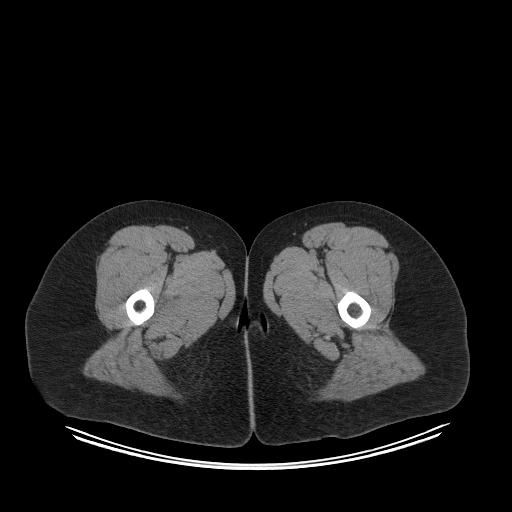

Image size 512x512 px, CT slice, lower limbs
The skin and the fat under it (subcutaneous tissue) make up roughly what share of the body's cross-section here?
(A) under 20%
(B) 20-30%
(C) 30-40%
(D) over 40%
(D) over 40%
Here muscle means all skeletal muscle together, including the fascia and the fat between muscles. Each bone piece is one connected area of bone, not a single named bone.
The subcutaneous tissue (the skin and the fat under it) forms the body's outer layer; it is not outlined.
{"bones":[[[346,291],[354,291],[356,292],[362,297],[363,297],[368,302],[368,303],[371,307],[371,313],[370,314],[370,316],[368,320],[360,328],[353,328],[351,327],[349,325],[348,325],[343,320],[342,320],[342,319],[339,315],[339,313],[337,309],[337,303]],[[141,288],[147,288],[148,290],[151,293],[153,297],[153,299],[154,300],[154,312],[153,314],[147,320],[146,320],[141,324],[139,325],[134,325],[129,319],[126,313],[126,309],[125,308],[125,306],[124,304],[125,303],[125,301],[126,299],[133,292]]],"right_leg":[[[140,199],[175,202],[214,214],[231,225],[245,244],[247,255],[244,303],[239,327],[243,325],[244,330],[252,435],[243,446],[227,448],[180,442],[107,422],[66,416],[46,402],[29,374],[24,332],[25,313],[50,259],[77,229],[95,215],[117,204]]],"muscle":[{"outer":[[334,221],[358,222],[374,228],[390,244],[400,267],[389,326],[425,364],[426,373],[419,379],[352,401],[308,401],[308,392],[321,385],[332,370],[319,356],[304,348],[285,321],[269,309],[263,299],[263,284],[275,255],[287,246],[297,245],[307,229]],"hole":[[346,291],[354,291],[356,292],[362,297],[363,297],[368,302],[368,303],[371,307],[371,313],[370,314],[370,316],[368,320],[360,328],[353,328],[351,327],[349,325],[348,325],[343,320],[342,320],[342,319],[339,315],[339,313],[337,309],[337,303]]},{"outer":[[132,224],[168,224],[183,228],[193,237],[199,250],[218,256],[232,274],[235,285],[232,309],[187,351],[174,358],[165,372],[179,389],[188,393],[184,399],[131,391],[87,378],[80,371],[85,360],[104,339],[104,327],[94,307],[96,258],[115,231]],"hole":[[141,288],[147,288],[148,290],[151,293],[153,297],[153,299],[154,300],[154,312],[153,314],[147,320],[146,320],[141,324],[139,325],[134,325],[129,319],[126,313],[126,309],[125,308],[125,306],[124,304],[125,303],[125,301],[126,299],[133,292]]}],"left_leg":[[[333,200],[363,201],[385,208],[410,223],[438,252],[457,285],[466,310],[470,353],[468,385],[461,400],[443,412],[410,418],[346,439],[326,437],[266,445],[253,434],[244,329],[249,321],[247,307],[244,305],[248,251],[259,231],[275,218],[305,206]]]}